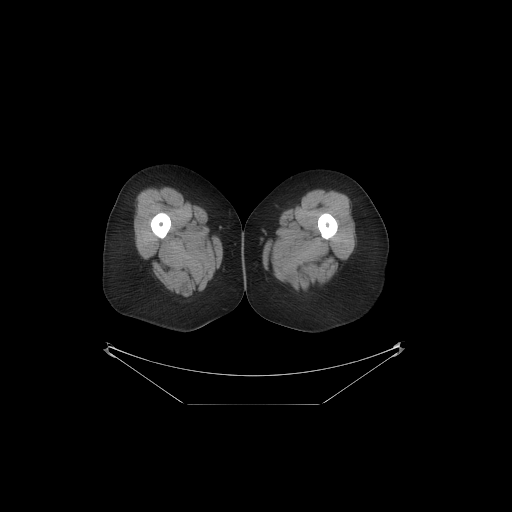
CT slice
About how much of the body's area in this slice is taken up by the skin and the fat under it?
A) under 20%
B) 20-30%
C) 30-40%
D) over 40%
Answer: D) over 40%
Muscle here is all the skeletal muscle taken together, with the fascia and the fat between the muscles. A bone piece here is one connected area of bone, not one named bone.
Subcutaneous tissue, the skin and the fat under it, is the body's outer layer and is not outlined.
Outlines (x, y in pixels):
bones 1: [[324,212],[327,212],[331,214],[336,219],[337,221],[337,223],[338,224],[337,231],[335,233],[335,234],[329,239],[325,239],[321,236],[321,234],[317,226],[317,220],[318,219],[318,217],[322,213]]
bones 2: [[159,212],[165,212],[166,213],[167,213],[171,220],[171,226],[170,227],[170,228],[169,229],[167,234],[163,238],[160,238],[159,237],[158,237],[156,235],[155,235],[153,233],[153,232],[151,229],[151,227],[150,226],[150,220],[155,214],[156,214]]
muscle 1: [[153,184],[163,184],[176,187],[201,205],[207,212],[213,227],[220,236],[224,245],[224,261],[222,268],[212,287],[203,297],[188,303],[179,303],[172,299],[160,284],[152,278],[146,266],[140,258],[135,246],[133,230],[134,198],[136,193],[142,188]] with a hole at [[159,212],[165,212],[166,213],[167,213],[171,220],[171,226],[170,227],[170,228],[169,229],[167,234],[163,238],[160,238],[159,237],[158,237],[156,235],[155,235],[153,233],[153,232],[151,229],[151,227],[150,226],[150,220],[155,214],[156,214]]
muscle 2: [[311,187],[320,187],[335,190],[346,194],[350,198],[351,200],[351,212],[355,223],[355,230],[359,242],[359,247],[325,289],[317,294],[314,298],[301,298],[295,296],[266,275],[261,257],[264,242],[269,233],[275,226],[275,219],[277,215]], around a hole outlined by [[324,212],[327,212],[331,214],[336,219],[337,221],[337,223],[338,224],[337,231],[335,233],[335,234],[329,239],[325,239],[321,236],[321,234],[317,226],[317,220],[318,219],[318,217],[322,213]]
right leg: [[158,163],[180,164],[202,175],[229,200],[236,210],[241,225],[243,226],[242,269],[246,296],[244,294],[237,306],[227,314],[189,332],[172,331],[124,316],[112,308],[102,290],[101,277],[104,234],[107,219],[117,195],[123,184],[131,175],[144,167]]
left leg: [[312,168],[328,168],[337,170],[347,174],[357,181],[366,191],[382,217],[389,238],[389,257],[386,279],[378,301],[371,310],[360,319],[329,331],[318,333],[289,328],[260,316],[248,302],[243,269],[243,231],[249,214],[256,205],[284,179],[297,172]]